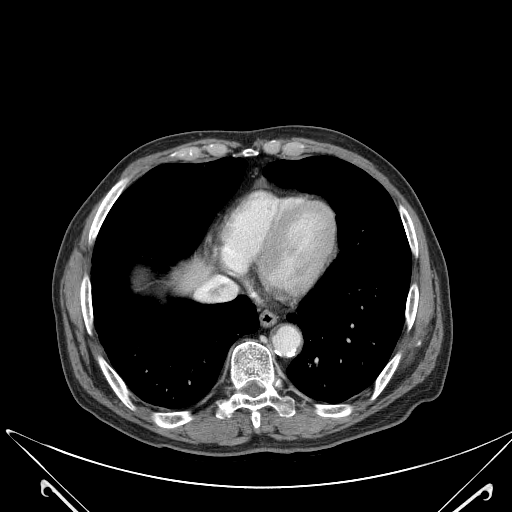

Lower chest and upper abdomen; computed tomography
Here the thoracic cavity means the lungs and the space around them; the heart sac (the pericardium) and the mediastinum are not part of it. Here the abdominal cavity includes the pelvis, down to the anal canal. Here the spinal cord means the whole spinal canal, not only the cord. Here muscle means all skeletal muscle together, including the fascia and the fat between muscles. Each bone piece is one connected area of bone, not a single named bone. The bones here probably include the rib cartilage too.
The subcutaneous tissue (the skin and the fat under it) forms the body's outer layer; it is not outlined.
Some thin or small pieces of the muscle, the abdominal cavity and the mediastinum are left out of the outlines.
The bones appear in 11 outlined pieces: piece 1: 245,339 266,346 285,376 285,385 311,400 291,392 295,413 289,417 279,415 269,405 262,407 260,426 256,430 251,412 245,407 236,409 230,417 221,419 215,415 215,401 227,396 228,383 221,377 229,350; inner edge: 250,381 256,381 257,382 259,382 263,386 263,390 258,395 257,395 256,396 251,396 250,395 249,395 247,393 244,392 244,391 243,390 243,389 244,388 244,387 246,385 246,384 248,382 249,382; piece 2: 271,139 279,139 282,142 296,141 303,143 305,145 305,151 300,157 284,158 279,154 268,154 261,150 255,156 243,157 242,156 233,156 232,155 233,153 237,153 242,149 247,147 251,147 260,150 262,145; piece 3: 125,176 129,176 130,177 130,183 119,195 108,211 99,229 99,231 97,234 97,236 93,245 89,245 89,243 88,242 88,234 89,233 89,230 93,221 94,216 96,213 96,211 102,199 110,188 119,179; piece 4: 97,354 100,354 103,356 103,357 109,363 109,364 122,379 125,383 126,386 135,396 135,397 132,399 132,401 136,406 136,410 132,410 126,406 113,391 108,382 106,380 98,364 98,362 96,360 95,356; piece 5: 210,143 219,143 220,144 223,144 227,146 230,149 231,152 221,157 212,157 209,155 206,155 204,157 194,161 183,161 176,158 172,158 169,156 170,153 184,147 190,147 191,146 201,146 202,145 206,145; piece 6: 85,272 87,272 88,273 89,275 90,283 91,284 91,303 93,308 93,324 94,325 93,334 92,335 89,335 87,332 86,326 83,318 83,315 82,314 81,303 80,302 80,283 81,282 82,277; piece 7: 180,410 191,410 192,414 194,416 194,418 192,420 184,424 179,425 176,427 166,428 165,427 161,427 160,426 158,426 156,424 155,424 150,419 149,417 149,415 151,411 171,412 172,411 179,411; piece 8: 399,350 402,352 402,355 397,367 395,369 393,374 391,376 389,381 385,387 375,398 375,399 370,402 369,401 369,398 372,393 372,391 373,390 373,385 376,378 379,375 381,371 384,368 392,356; piece 9: 315,402 317,403 323,403 324,404 338,404 339,403 350,403 353,406 353,410 350,414 346,416 342,416 341,417 326,417 325,416 321,416 320,415 318,415 314,412 314,407 313,406 313,403; piece 10: 399,204 402,204 407,210 413,223 413,226 415,230 415,234 417,239 417,247 418,248 418,256 417,258 415,258 412,255 412,253 408,243 408,240 406,236 406,233 405,232 405,230 400,217 400,214 397,207; piece 11: 412,282 416,282 418,286 418,301 417,302 417,309 415,314 415,318 413,321 413,324 410,330 408,332 406,330 406,326 404,324 405,323 405,309 406,308 406,301 407,300 407,296 408,295 409,288. The abdominal cavity is outlined by 200,244 203,244 203,253 205,259 213,268 213,273 207,281 194,291 192,294 192,298 194,300 168,295 163,302 155,296 141,295 132,291 130,287 130,274 136,265 147,266 156,276 161,276 179,260 190,256. The spinal cord is outlined by 250,381 256,381 257,382 259,382 263,386 263,390 258,395 257,395 256,396 251,396 250,395 249,395 247,393 244,392 244,391 243,390 243,389 244,388 244,387 246,385 246,384 248,382 249,382. The torso is outlined by 286,124 331,128 361,141 395,166 420,200 443,252 449,277 453,342 440,394 417,406 394,426 314,451 207,456 156,447 118,431 76,402 60,362 51,280 58,249 71,218 121,158 150,140 191,130 249,130. The pericardium is outlined by 258,181 263,181 274,189 280,191 301,192 318,196 325,200 334,212 337,228 337,255 315,285 293,307 258,301 250,295 239,279 219,269 214,269 206,259 204,253 206,243 217,220 236,198. The mediastinum appears in 2 outlined pieces: piece 1: 214,270 239,280 249,295 262,304 289,308 297,304 296,311 285,317 300,327 303,345 284,371 276,365 272,351 263,343 245,338 234,344 259,328 256,307 246,295 239,294 221,303 199,303 193,298; piece 2: 260,153 276,155 283,158 270,161 261,169 261,174 265,178 279,187 299,191 280,190 263,180 256,181 236,197 223,211 213,225 204,246 204,244 201,243 215,215 233,196 244,177 248,166 245,158 255,157. The muscle appears in 2 outlined pieces: piece 1: 293,136 334,144 364,157 414,209 439,280 443,338 431,372 385,407 339,431 288,440 254,433 247,441 235,445 176,440 130,421 94,399 75,377 69,360 60,281 87,216 103,196 87,234 88,245 93,246 89,274 85,271 79,283 79,302 86,332 92,336 95,330 107,358 97,353 95,360 112,391 130,410 137,410 133,401 136,397 153,410 148,417 155,425 176,428 192,421 195,416 189,409 215,394 222,382 227,383 226,396 214,401 215,417 230,418 236,410 245,408 256,431 261,426 260,410 264,407 273,408 285,418 296,413 296,399 291,393 307,402 312,400 313,412 318,416 341,418 354,410 349,401 372,387 370,403 386,387 403,355 400,349 393,354 403,327 408,333 411,330 418,309 419,286 416,281 411,282 412,256 415,259 419,256 414,223 405,206 396,205 369,173 334,155 302,156 306,151 303,142 273,138; piece 2: 207,137 234,140 245,145 249,145 257,138 267,138 270,139 264,142 261,145 260,149 247,146 237,152 233,152 229,154 232,152 231,149 227,145 219,142 210,142 201,145 184,146 170,152 168,155 172,159 182,161 172,161 160,163 150,168 132,183 131,183 131,177 129,175 122,176 118,179 124,169 132,161 140,157 158,151 162,151 186,142. The thoracic cavity appears in 2 outlined pieces: piece 1: 227,155 244,158 247,166 202,241 161,275 136,264 129,287 134,294 163,303 169,296 221,304 244,295 255,307 258,328 229,348 215,393 188,409 154,410 127,386 98,338 90,279 93,247 117,199 150,169; piece 2: 319,154 347,161 381,184 397,208 411,253 404,323 392,355 372,386 354,399 338,403 314,401 286,385 284,373 304,345 301,327 286,317 297,311 340,252 335,212 322,196 279,186 262,174 262,169 275,160.